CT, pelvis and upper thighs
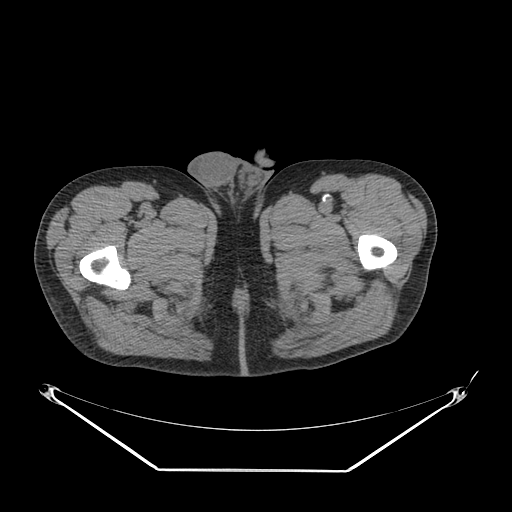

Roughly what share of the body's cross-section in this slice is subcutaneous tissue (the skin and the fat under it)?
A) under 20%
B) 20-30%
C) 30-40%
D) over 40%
C) 30-40%
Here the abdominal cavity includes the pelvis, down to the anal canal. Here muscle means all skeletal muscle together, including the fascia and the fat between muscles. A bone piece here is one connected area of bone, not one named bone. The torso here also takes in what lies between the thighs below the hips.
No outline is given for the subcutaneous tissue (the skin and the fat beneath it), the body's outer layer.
Outlines:
bones 1: 106,245 114,245 116,247 120,264 123,267 126,268 130,273 131,282 129,286 126,289 119,290 102,284 98,284 95,282 92,282 85,278 81,274 79,270 79,261 84,255 97,248 101,248
bones 2: 362,234 377,234 391,241 395,245 397,249 397,256 394,260 394,261 390,263 384,268 377,268 373,270 366,270 364,269 362,265 360,263 360,261 359,260 359,256 357,252 357,243 358,242 358,238 359,236
muscle 1: 328,171 367,171 393,177 423,204 427,216 426,235 413,259 410,276 401,290 397,315 387,333 320,356 280,358 270,355 269,342 282,330 282,325 274,302 276,298 267,264 260,249 259,218 262,211 282,195, around a hole outlined by 362,234 377,234 391,241 395,245 397,249 397,256 394,260 394,261 390,263 384,268 377,268 373,270 366,270 364,269 362,265 360,263 360,261 359,260 359,256 357,252 357,243 358,242 358,238 359,236
muscle 2: 120,178 137,178 148,183 158,183 179,195 201,202 212,211 216,218 217,231 213,258 209,264 209,277 201,312 204,333 214,344 209,361 117,355 103,350 93,341 71,296 51,267 46,231 56,211 82,189, around a hole outlined by 106,245 114,245 116,247 120,264 123,267 126,268 130,273 131,282 129,286 126,289 119,290 102,284 98,284 95,282 92,282 85,278 81,274 79,270 79,261 84,255 97,248 101,248
muscle 3: 237,288 247,288 247,291 249,294 249,302 250,303 250,307 251,308 251,310 249,312 249,313 245,317 244,316 239,316 238,315 237,315 233,310 233,308 231,305 231,300 232,299 232,297 233,296 233,295; inner edge: 241,297 242,297 244,299 245,299 245,304 246,305 245,306 244,306 241,309 241,310 240,309 239,309 239,308 238,307 238,306 237,305 237,304 236,303 236,302 237,301 237,299 238,299 239,298 240,298
abdominal cavity: 241,297 242,297 244,299 245,299 245,304 246,305 245,306 244,306 241,309 241,310 240,309 239,309 239,308 238,307 238,306 237,305 237,304 236,303 236,302 237,301 237,299 238,299 239,298 240,298
right leg: 124,165 163,165 180,170 222,204 234,222 238,286 242,311 242,324 240,327 242,337 243,378 190,377 144,368 107,365 82,354 69,341 55,320 39,285 33,262 34,242 41,216 52,197 69,181 93,170
left leg: 323,158 360,158 381,161 407,172 424,188 436,214 437,241 421,305 405,332 391,344 323,368 285,372 265,377 244,378 241,327 243,324 243,311 239,286 236,234 255,211 274,172 276,173 282,168 298,161
torso: 261,147 264,147 270,156 275,160 275,163 273,166 274,171 268,179 254,211 236,233 235,222 223,204 186,173 187,172 187,165 189,161 195,156 204,152 214,150 223,151 250,162 253,159 253,153 258,148